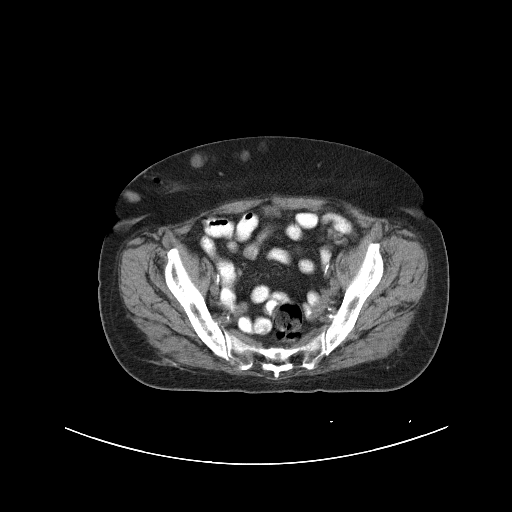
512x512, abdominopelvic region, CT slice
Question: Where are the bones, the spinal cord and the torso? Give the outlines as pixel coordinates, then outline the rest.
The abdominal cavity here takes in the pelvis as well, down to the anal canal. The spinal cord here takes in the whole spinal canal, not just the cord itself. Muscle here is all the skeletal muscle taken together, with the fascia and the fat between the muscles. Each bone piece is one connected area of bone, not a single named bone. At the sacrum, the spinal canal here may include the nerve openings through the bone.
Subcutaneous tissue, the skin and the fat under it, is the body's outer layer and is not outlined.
Answer: {"bones":[{"outer":[[376,242],[380,244],[383,273],[353,328],[312,369],[296,363],[276,379],[259,363],[241,370],[236,360],[214,354],[194,330],[164,276],[167,251],[177,248],[211,316],[224,329],[250,345],[294,347],[307,343],[330,324],[328,315],[340,306],[368,245]],"hole":[[296,354],[297,354],[298,354],[299,354],[300,354],[301,355],[301,356],[301,357],[300,358],[299,358],[298,358],[297,358],[296,359],[295,359],[294,359],[293,359],[292,360],[291,360],[291,359],[291,358],[292,357],[293,356],[294,355],[295,355]]}],"spinal_cord":[[[296,354],[297,354],[298,354],[299,354],[300,354],[301,355],[301,356],[301,357],[300,358],[299,358],[298,358],[297,358],[296,359],[295,359],[294,359],[293,359],[292,360],[291,360],[291,359],[291,358],[292,357],[293,356],[294,355],[295,355]],[[271,361],[279,361],[280,362],[283,362],[283,363],[281,363],[280,364],[276,364],[275,363],[273,363],[272,362],[271,362]],[[257,356],[258,356],[259,356],[260,356],[261,356],[262,357],[263,357],[263,358],[264,359],[264,360],[263,360],[262,361],[261,360],[260,359],[259,358],[258,357]]],"torso":[[[252,135],[302,136],[359,147],[394,162],[423,189],[423,208],[445,242],[449,302],[434,356],[407,385],[389,391],[310,393],[168,390],[136,380],[115,358],[101,323],[97,274],[102,242],[116,221],[113,209],[119,194],[138,173],[169,155],[203,143]]],"muscle":[{"outer":[[268,193],[341,199],[364,211],[398,221],[418,234],[427,253],[427,282],[398,349],[381,359],[319,374],[294,376],[282,381],[253,375],[192,372],[154,362],[145,335],[127,316],[120,296],[118,269],[120,254],[126,241],[145,228],[178,223],[205,208]],"hole":[[264,202],[289,210],[341,207],[355,219],[363,235],[333,264],[343,293],[370,243],[380,244],[383,260],[346,337],[312,369],[296,363],[276,379],[259,363],[241,370],[214,354],[164,276],[167,251],[177,248],[205,299],[213,266],[182,235],[202,217]]},[[227,330],[233,330],[238,334],[240,334],[243,336],[245,336],[246,337],[251,338],[256,341],[259,341],[262,344],[262,345],[256,345],[255,344],[250,344],[249,343],[247,343],[243,341],[241,339],[240,339],[234,334],[232,333],[230,333]],[[324,326],[326,326],[325,327],[325,329],[322,330],[319,333],[316,334],[307,342],[303,344],[300,344],[302,340],[304,339],[306,335],[308,333],[309,333],[311,331],[311,330],[313,329],[315,329],[316,328],[321,328]]],"abdominal_cavity":[[[264,202],[289,210],[341,207],[363,229],[358,243],[342,249],[333,264],[335,281],[343,293],[339,306],[327,315],[329,324],[311,329],[299,345],[264,346],[259,340],[224,328],[212,316],[205,299],[214,277],[213,266],[181,241],[202,217],[236,214]]]}